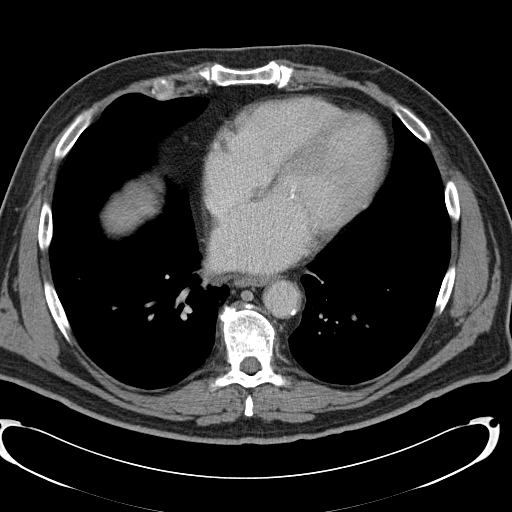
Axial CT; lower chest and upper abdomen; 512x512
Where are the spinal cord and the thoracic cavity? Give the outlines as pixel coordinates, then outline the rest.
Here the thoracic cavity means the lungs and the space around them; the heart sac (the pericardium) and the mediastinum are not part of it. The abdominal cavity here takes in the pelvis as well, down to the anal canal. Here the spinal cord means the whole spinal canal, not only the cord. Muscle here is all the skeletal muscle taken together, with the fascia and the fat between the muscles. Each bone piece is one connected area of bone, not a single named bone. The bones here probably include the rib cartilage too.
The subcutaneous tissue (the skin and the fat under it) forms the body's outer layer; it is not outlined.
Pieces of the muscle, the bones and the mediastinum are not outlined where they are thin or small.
Outlines:
spinal cord: 246,357 254,357 258,361 258,362 259,363 259,369 258,369 255,372 254,372 253,373 247,373 246,372 245,372 243,370 242,370 241,369 241,363 242,362 242,361
thoracic cavity 1: 128,93 207,102 158,142 156,163 109,194 97,214 103,234 118,241 156,218 166,203 168,178 188,191 209,283 228,287 217,313 219,352 179,383 156,389 114,379 80,348 48,252 53,194 65,158 105,108
thoracic cavity 2: 394,115 427,145 439,171 450,219 448,266 435,299 431,319 405,356 371,379 349,385 329,383 314,377 286,357 275,340 286,340 300,324 306,305 306,292 301,277 308,272 307,265 370,207 390,174 396,150
torso: 298,43 355,50 398,69 433,94 457,118 476,144 511,216 511,370 489,382 456,388 367,427 316,439 265,445 208,444 144,434 94,419 56,400 0,379 0,205 31,132 54,100 89,72 133,55 198,47
mediastinum: 246,84 353,88 393,114 388,175 380,116 317,91 234,104 197,158 200,240 216,274 267,278 309,262 301,319 286,339 254,304 224,303 228,285 210,283 202,265 189,191 157,163 159,142 208,102 180,95
muscle 1: 71,121 53,152 55,160 64,159 51,205 44,200 38,218 37,242 48,253 52,280 43,280 44,297 65,340 72,341 71,333 97,367 124,385 143,390 175,386 215,357 222,343 229,367 209,382 212,391 231,384 289,386 290,380 272,366 279,350 314,378 344,386 371,380 405,357 432,317 443,312 456,277 456,265 449,265 451,220 460,219 460,199 452,179 444,186 426,124 472,186 491,263 489,225 494,237 500,289 490,328 427,374 362,406 319,412 307,421 252,416 249,393 245,416 208,425 113,404 0,346 0,288 20,238 24,208 42,158
muscle 2: 277,59 285,59 306,65 321,66 355,80 369,80 377,84 383,91 405,105 395,99 392,99 389,102 392,113 373,97 353,87 335,85 319,85 307,88 285,87 291,81 296,70 291,65 278,63 275,60
muscle 3: 208,61 213,62 209,64 208,63 205,64 191,73 193,77 202,79 207,84 210,85 213,84 215,86 206,91 197,92 189,91 186,93 176,95 175,83 164,76 163,76 157,76 155,77 151,81 149,95 142,92 124,93 118,96 108,104 97,119 92,122 95,112 95,108 93,106 80,111 89,106 93,102 99,100 118,89 127,86 134,81 169,73 178,72 187,67
pericardium: 315,92 347,98 369,108 379,116 387,129 391,144 389,170 383,184 369,207 344,227 315,257 300,267 267,277 216,273 206,260 201,240 204,233 196,174 198,158 212,131 220,118 234,105 250,98 268,94
abdominal cavity: 155,164 157,164 168,177 165,178 166,192 165,193 165,203 162,211 156,217 147,221 140,226 131,235 118,240 108,238 102,230 99,222 98,214 110,194 118,190 124,182 131,178 138,176 142,172 149,170
bones 1: 246,303 254,305 255,309 273,325 276,331 274,344 280,356 276,354 273,357 271,366 290,383 287,386 277,386 264,382 252,388 231,383 212,390 210,382 230,367 225,360 225,344 218,313 223,304 239,309 with a hole at 246,357 254,357 258,361 258,362 259,363 259,369 258,369 255,372 254,372 253,373 247,373 246,372 245,372 243,370 242,370 241,369 241,363 242,362 242,361
bones 2: 271,60 274,60 278,64 285,64 291,66 295,70 288,84 282,88 278,88 273,84 260,83 216,86 213,83 210,84 207,83 202,78 192,75 192,73 198,69 214,62 229,68 245,70 265,65
bones 3: 91,107 93,107 94,108 94,112 92,116 92,120 91,121 91,123 79,135 66,156 64,158 62,158 61,159 60,158 59,159 55,159 54,157 54,152 55,151 55,148 63,133 72,122 74,118 80,112
bones 4: 44,280 47,280 53,284 53,286 55,289 59,301 64,310 65,315 67,318 71,330 70,333 71,335 71,341 70,342 68,342 66,340 58,328 48,307 46,301 46,298 45,297 44,287 43,286
bones 5: 392,100 395,100 398,103 408,108 425,124 429,130 429,132 431,135 431,140 428,144 426,144 414,135 414,134 412,133 409,129 408,129 408,128 401,121 401,120 394,114 392,110 392,108 390,105 390,102
bones 6: 44,201 47,201 51,206 51,218 52,219 52,235 51,236 51,240 50,241 50,243 49,244 49,246 47,250 41,250 40,249 39,243 38,242 38,225 39,224 39,218 40,217 40,213 41,212 41,207
bones 7: 452,264 454,264 455,265 455,277 454,278 454,281 453,282 453,286 451,290 451,293 449,296 448,301 442,312 439,314 433,315 435,311 435,303 436,302 436,299 437,298 443,278 446,273 446,271 448,267
bones 8: 449,179 452,180 454,182 455,186 457,189 457,193 458,194 458,198 459,199 459,219 457,221 453,221 450,218 448,214 447,208 446,207 446,204 445,203 445,194 444,193 444,187 445,186 446,182
bones 9: 157,77 164,77 168,80 169,80 174,83 174,92 175,93 175,96 174,97 172,97 171,98 169,98 168,99 165,99 164,100 160,100 159,99 157,99 150,95 150,89 152,86 152,81 155,78 156,78